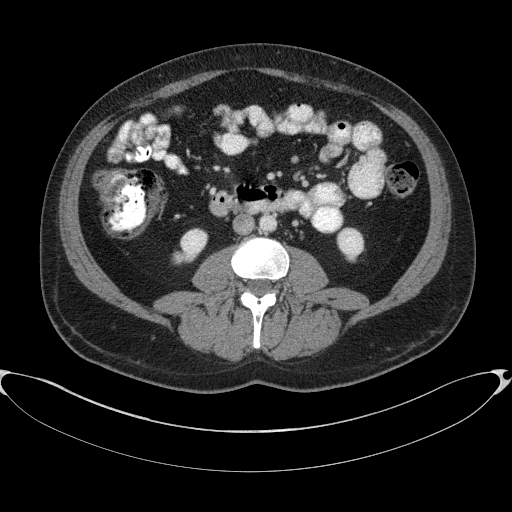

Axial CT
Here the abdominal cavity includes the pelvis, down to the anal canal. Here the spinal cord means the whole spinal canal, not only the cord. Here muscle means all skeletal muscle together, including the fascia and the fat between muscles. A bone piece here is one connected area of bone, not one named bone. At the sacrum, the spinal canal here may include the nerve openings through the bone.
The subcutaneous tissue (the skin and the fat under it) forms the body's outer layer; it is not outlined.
{"abdominal_cavity":[[[149,306],[170,291],[197,290],[190,278],[202,260],[250,236],[308,251],[326,272],[327,286],[349,287],[371,302],[383,297],[427,231],[429,187],[415,144],[368,102],[251,70],[222,74],[131,113],[92,152],[80,187],[79,217],[98,264],[126,295]]],"spinal_cord":[[[257,296],[261,296],[265,293],[271,291],[273,289],[273,283],[270,280],[268,280],[267,279],[254,279],[253,280],[251,280],[250,279],[249,279],[248,280],[247,280],[247,282],[246,283],[246,288],[252,293],[253,293]]],"torso":[[[198,394],[251,384],[297,392],[353,385],[429,353],[460,321],[476,269],[466,184],[437,123],[390,79],[347,59],[296,45],[214,46],[166,60],[115,85],[90,105],[68,134],[50,171],[40,216],[39,278],[48,318],[64,343],[84,360],[148,384]]],"muscle":[{"outer":[[229,364],[238,362],[249,354],[258,352],[280,363],[283,362],[286,364],[315,359],[358,321],[376,315],[412,298],[436,274],[446,252],[451,227],[450,193],[445,171],[435,147],[416,122],[405,112],[367,92],[343,83],[277,68],[240,66],[229,69],[204,71],[171,82],[149,92],[104,118],[77,146],[67,165],[60,189],[58,224],[66,257],[78,279],[88,289],[105,301],[140,318],[164,326],[196,355],[212,361]],"hole":[[254,348],[289,267],[286,245],[311,253],[327,286],[373,302],[424,240],[429,187],[409,135],[372,104],[242,70],[137,110],[106,134],[84,171],[79,217],[98,264],[149,306],[170,291],[197,290],[190,281],[197,266],[236,243],[231,266],[252,313]]}],"bones":[{"outer":[[254,348],[259,348],[260,346],[259,336],[263,315],[276,302],[279,286],[277,282],[287,273],[289,267],[289,255],[286,249],[277,240],[267,237],[244,239],[231,257],[232,269],[243,281],[242,292],[239,296],[240,302],[249,308],[252,313],[252,345]],"hole":[[257,296],[261,296],[265,293],[271,291],[273,289],[273,283],[270,280],[268,280],[267,279],[254,279],[253,280],[251,280],[250,279],[249,279],[248,280],[247,280],[247,282],[246,283],[246,288],[252,293],[253,293]]}]}